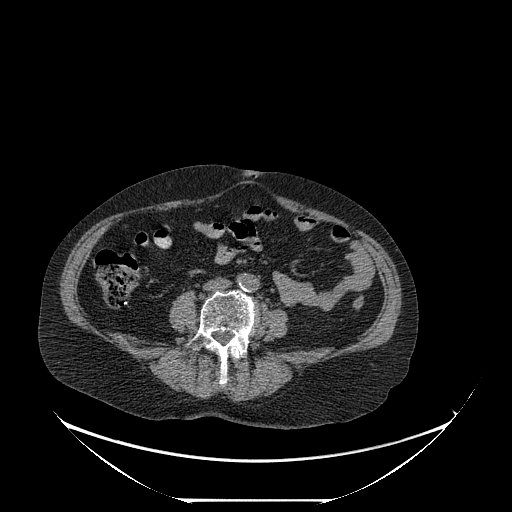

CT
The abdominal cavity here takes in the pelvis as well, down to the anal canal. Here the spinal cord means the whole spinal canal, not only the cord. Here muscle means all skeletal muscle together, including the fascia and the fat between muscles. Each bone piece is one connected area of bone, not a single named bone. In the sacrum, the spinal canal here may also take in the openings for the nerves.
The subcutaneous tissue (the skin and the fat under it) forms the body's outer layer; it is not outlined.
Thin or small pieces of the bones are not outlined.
Outlines (x, y in pixels):
bones: 231 289; 238 289; 257 301; 259 321; 255 326; 254 333; 249 336; 246 357; 234 359; 228 357; 228 380; 221 385; 218 382; 220 364; 218 356; 204 347; 195 351; 187 348; 185 344; 195 335; 199 327; 199 311; 206 298; 217 290; inner edge: 218 331; 220 331; 221 332; 228 332; 229 333; 230 333; 231 334; 232 334; 232 336; 231 337; 231 338; 226 343; 225 343; 224 344; 222 344; 221 343; 220 343; 216 339; 215 339; 215 338; 213 335; 213 334; 215 332; 217 332
muscle: 247 180; 249 181; 259 181; 263 185; 266 186; 265 188; 266 189; 270 190; 277 195; 294 200; 307 207; 317 209; 333 215; 348 223; 354 228; 359 229; 368 234; 382 246; 391 258; 399 276; 401 287; 400 313; 398 316; 393 334; 388 341; 377 347; 370 348; 362 351; 352 352; 345 355; 336 356; 323 362; 311 364; 304 368; 300 372; 300 374; 291 388; 287 390; 284 394; 269 401; 267 403; 265 403; 263 405; 257 405; 254 407; 242 405; 234 402; 222 392; 219 392; 215 395; 205 399; 201 398; 191 399; 186 398; 184 396; 179 396; 174 394; 168 390; 149 369; 143 367; 143 364; 141 361; 139 361; 131 354; 133 354; 135 352; 132 348; 127 349; 127 351; 129 353; 123 351; 113 344; 105 341; 97 335; 84 330; 79 326; 74 324; 68 318; 65 313; 59 293; 61 274; 71 250; 80 237; 89 228; 100 220; 116 213; 152 204; 157 204; 180 199; 196 199; 205 197; 208 195; 217 193; 232 184; inner edge: 242 184; 345 226; 363 243; 383 287; 363 333; 335 346; 276 349; 288 315; 260 302; 247 355; 228 357; 221 385; 218 356; 185 346; 199 327; 192 290; 169 308; 179 334; 173 343; 121 339; 92 320; 78 282; 114 223; 212 201
abdominal cavity: 242 184; 295 213; 345 226; 363 243; 383 287; 381 308; 363 333; 335 346; 276 349; 272 342; 288 331; 287 313; 238 288; 215 290; 198 311; 192 290; 178 295; 168 312; 179 334; 173 343; 92 320; 78 282; 114 223; 212 201
spinal cord: 218 331; 220 331; 221 332; 228 332; 229 333; 230 333; 231 334; 232 334; 232 336; 231 337; 231 338; 226 343; 225 343; 224 344; 222 344; 221 343; 220 343; 216 339; 215 339; 215 338; 213 335; 213 334; 215 332; 217 332
torso: 197 164; 286 172; 312 179; 357 202; 391 235; 414 280; 418 330; 406 376; 375 410; 347 422; 299 429; 255 427; 214 416; 154 420; 124 412; 71 388; 48 371; 39 351; 37 324; 45 269; 61 240; 83 217; 122 189; 153 175